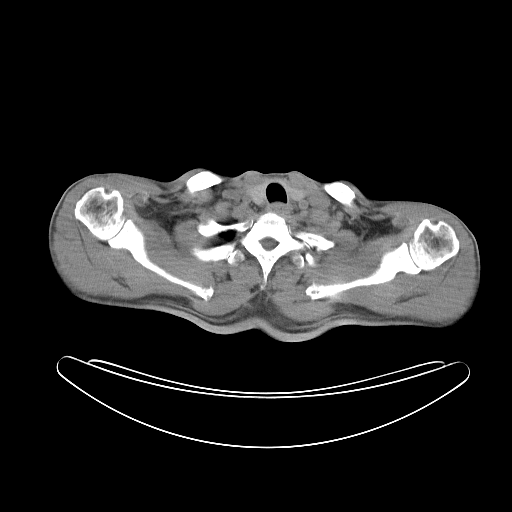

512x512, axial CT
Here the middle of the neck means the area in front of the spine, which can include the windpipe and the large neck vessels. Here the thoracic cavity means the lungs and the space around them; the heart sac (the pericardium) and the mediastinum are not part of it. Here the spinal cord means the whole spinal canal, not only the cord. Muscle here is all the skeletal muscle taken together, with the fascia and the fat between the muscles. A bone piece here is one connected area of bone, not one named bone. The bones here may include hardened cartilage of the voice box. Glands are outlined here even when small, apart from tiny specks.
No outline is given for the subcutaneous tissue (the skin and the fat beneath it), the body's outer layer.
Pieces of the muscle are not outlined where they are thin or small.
The middle of the neck is outlined by [[272,180],[278,180],[282,184],[287,197],[293,202],[303,199],[305,193],[325,193],[329,196],[329,205],[280,215],[271,210],[264,212],[228,200],[221,195],[224,189],[246,188],[245,193],[250,199],[257,206],[262,206],[266,202],[266,187]]. The thyroid glands appear in 2 outlined pieces: piece 1: [[266,179],[270,179],[271,180],[271,181],[270,181],[265,187],[265,190],[264,191],[264,193],[265,194],[265,202],[262,205],[257,205],[251,199],[251,197],[246,193],[246,189],[248,187],[249,187],[252,185],[257,184],[260,182],[262,182]]; piece 2: [[279,180],[284,180],[286,182],[289,183],[292,186],[293,186],[294,187],[295,187],[296,188],[301,190],[304,193],[304,197],[298,201],[293,201],[292,200],[291,200],[288,197],[288,195],[287,194],[287,192],[286,191],[286,190],[285,189],[283,184]]. The left arm is outlined by [[418,201],[427,202],[443,207],[456,214],[471,230],[477,241],[480,255],[480,263],[481,264],[480,286],[477,297],[475,303],[469,313],[462,320],[455,325],[450,327],[445,328],[432,328],[431,327],[418,274],[411,252],[410,242],[415,218],[416,207]]. The thoracic cavity is outlined by [[228,231],[234,231],[234,237],[233,238],[233,239],[232,239],[231,240],[229,240],[228,241],[225,241],[224,242],[223,241],[222,241],[222,240],[221,239],[221,238],[219,236],[219,234],[220,234],[221,233],[224,233],[225,232],[227,232]]. The right arm is outlined by [[101,172],[127,173],[127,180],[128,181],[128,187],[130,195],[130,203],[120,234],[103,261],[77,298],[72,295],[62,284],[56,275],[56,273],[54,271],[50,261],[50,257],[47,247],[48,224],[52,212],[62,193],[71,183],[88,174],[100,173]]. The torso is outlined by [[198,166],[230,176],[248,170],[264,173],[296,170],[324,182],[345,178],[370,198],[417,201],[409,248],[431,328],[415,325],[347,324],[313,338],[280,341],[256,329],[219,334],[170,313],[100,305],[79,299],[123,230],[131,203],[128,173],[167,181]]. The bones appear in 5 outlined pieces: piece 1: [[270,211],[296,230],[334,242],[325,250],[308,250],[314,266],[297,267],[290,251],[276,260],[261,289],[261,266],[243,247],[245,257],[235,265],[192,254],[194,247],[238,241],[242,234],[228,230],[207,237],[198,231],[199,224],[256,220]], around a hole outlined by [[264,238],[271,238],[272,239],[273,239],[274,240],[275,240],[277,243],[276,244],[276,245],[273,248],[272,248],[271,249],[266,249],[265,248],[264,248],[262,246],[262,245],[260,242],[260,241],[262,239],[263,239]]; piece 2: [[424,218],[428,218],[432,223],[445,221],[453,228],[459,241],[456,255],[439,266],[431,270],[421,270],[416,274],[400,271],[389,281],[356,286],[328,297],[311,299],[306,294],[306,288],[313,282],[347,282],[371,274],[386,251],[402,242],[410,241]]; piece 3: [[98,186],[102,186],[106,192],[113,189],[119,191],[123,198],[122,214],[131,219],[142,232],[147,256],[153,263],[185,281],[211,286],[213,294],[206,301],[188,288],[146,268],[127,249],[112,248],[105,240],[94,236],[75,218],[74,209],[86,191]]; piece 4: [[201,170],[210,170],[213,172],[215,172],[217,174],[219,174],[221,176],[222,176],[223,177],[223,179],[221,182],[217,184],[214,184],[209,187],[207,187],[200,190],[197,190],[193,192],[190,192],[188,190],[186,186],[186,181],[191,176]]; piece 5: [[335,180],[337,180],[338,181],[341,181],[349,185],[350,187],[353,190],[355,196],[351,203],[351,205],[347,205],[346,204],[341,203],[339,201],[338,201],[336,199],[332,197],[323,188],[323,184],[324,184],[326,182],[331,182]]. The muscle is outlined by [[198,170],[185,181],[190,193],[248,172],[298,173],[322,184],[327,193],[304,192],[270,178],[224,188],[224,199],[263,213],[256,219],[210,219],[197,225],[202,236],[218,235],[223,243],[194,246],[191,254],[202,262],[225,260],[235,266],[246,257],[243,248],[260,266],[261,290],[279,258],[294,252],[290,259],[297,268],[314,267],[309,250],[335,245],[320,233],[296,229],[283,216],[325,209],[330,196],[351,206],[356,196],[351,186],[376,206],[421,204],[458,220],[473,244],[473,294],[458,315],[441,321],[348,313],[304,324],[274,316],[263,303],[234,318],[212,321],[166,303],[77,290],[60,272],[52,249],[56,218],[75,186],[92,177],[128,176],[165,188]] with holes at [[424,218],[428,218],[432,223],[445,221],[453,228],[459,241],[456,255],[439,266],[431,270],[421,270],[416,274],[400,271],[389,281],[356,286],[328,297],[311,299],[306,294],[306,288],[313,282],[347,282],[371,274],[386,251],[402,242],[410,241]] and at [[98,186],[102,186],[106,192],[113,189],[119,191],[123,198],[122,214],[131,219],[142,232],[147,256],[153,263],[185,281],[211,286],[213,294],[206,301],[188,288],[146,268],[127,249],[112,248],[105,240],[94,236],[75,218],[74,209],[86,191]]. The spinal cord is outlined by [[264,238],[271,238],[272,239],[273,239],[274,240],[275,240],[277,243],[276,244],[276,245],[273,248],[272,248],[271,249],[266,249],[265,248],[264,248],[262,246],[262,245],[260,242],[260,241],[262,239],[263,239]].